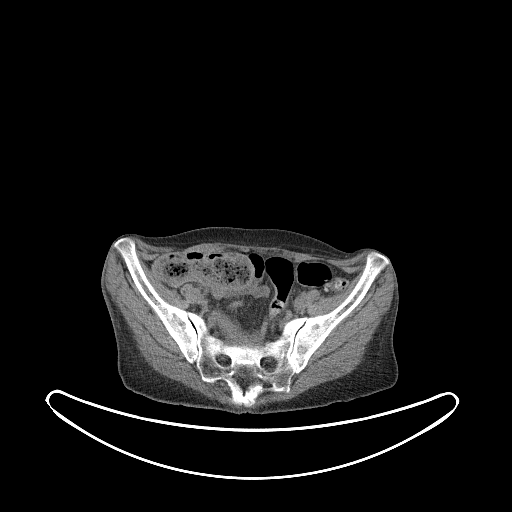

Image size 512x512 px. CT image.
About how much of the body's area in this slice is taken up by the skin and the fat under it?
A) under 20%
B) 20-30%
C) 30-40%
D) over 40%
B) 20-30%
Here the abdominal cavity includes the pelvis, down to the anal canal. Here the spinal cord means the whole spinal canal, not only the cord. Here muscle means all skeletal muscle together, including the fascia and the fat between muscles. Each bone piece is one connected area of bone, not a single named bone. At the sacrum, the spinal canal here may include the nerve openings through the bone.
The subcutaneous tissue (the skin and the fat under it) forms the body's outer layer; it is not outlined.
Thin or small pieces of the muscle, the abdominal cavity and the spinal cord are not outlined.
Outlines:
abdominal cavity: 250,250 292,261 325,261 352,277 338,294 323,296 315,289 308,290 304,294 307,315 286,321 273,340 224,339 211,333 201,315 188,310 197,301 193,285 185,283 178,292 170,289 156,278 148,262 171,252
spinal cord 1: 263,357 270,357 274,361 274,366 271,369 266,369 260,363 260,360
spinal cord 2: 244,372 246,372 249,375 249,376 250,377 249,378 249,382 248,383 248,384 244,388 242,386 242,385 240,383 240,382 239,381 239,378 238,377 238,375 239,375 240,374 241,375 242,374 243,374 244,373
bones: 123,237 134,241 146,277 165,301 201,316 214,336 239,344 273,341 289,320 334,309 360,278 369,252 386,256 390,263 292,376 289,392 265,390 246,407 230,400 224,380 203,381 196,364 185,358 113,247, around holes outlined by 263,357 270,357 274,361 274,366 271,369 266,369 260,363 260,360 and by 244,372 246,372 249,375 249,376 250,377 249,378 249,382 248,383 248,384 244,388 242,386 242,385 240,383 240,382 239,381 239,378 238,377 238,375 239,375 240,374 241,375 242,374 243,374 244,373 and by 220,355 225,355 228,358 228,361 225,364 220,364 217,361 217,358
muscle 1: 113,248 121,257 135,287 157,315 184,358 190,364 195,364 201,380 211,384 220,380 224,381 230,391 229,400 233,404 244,406 236,407 211,399 198,391 161,375 148,365 140,355 132,333 106,287 107,264
muscle 2: 389,265 393,276 391,303 389,309 382,317 373,337 368,342 363,359 356,368 348,374 316,385 288,400 275,401 250,407 256,403 257,398 265,391 290,392 293,376 306,367 311,356 333,329 360,303 379,274
muscle 3: 131,237 138,238 150,245 174,247 179,249 200,243 220,242 264,247 280,247 291,251 322,255 336,259 347,259 360,253 370,251 365,256 364,266 359,278 345,298 331,310 325,313 310,316 308,315 308,309 305,303 305,294 308,291 315,290 320,296 323,297 338,295 343,293 348,288 353,277 352,274 325,260 292,260 289,258 266,255 253,249 245,251 226,250 220,253 192,251 171,251 160,253 155,258 147,262 148,267 159,282 177,293 183,285 192,285 193,293 196,295 196,301 189,304 187,310 168,302 158,293 141,265 136,251 136,243
torso: 209,226 291,230 346,252 370,247 386,256 394,268 399,294 393,332 398,365 396,383 388,389 351,401 265,414 234,414 168,404 126,388 117,372 116,341 100,286 101,271 109,247 124,233 166,236